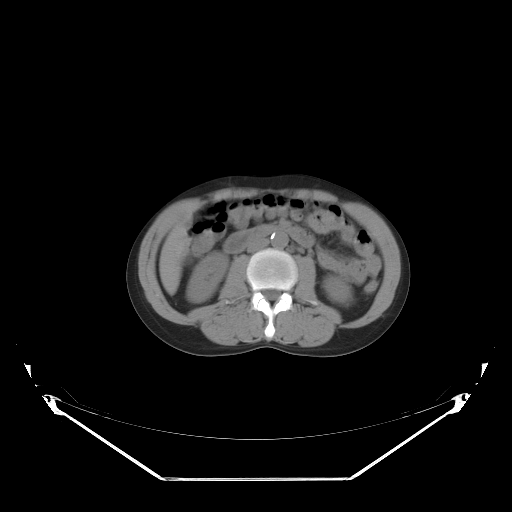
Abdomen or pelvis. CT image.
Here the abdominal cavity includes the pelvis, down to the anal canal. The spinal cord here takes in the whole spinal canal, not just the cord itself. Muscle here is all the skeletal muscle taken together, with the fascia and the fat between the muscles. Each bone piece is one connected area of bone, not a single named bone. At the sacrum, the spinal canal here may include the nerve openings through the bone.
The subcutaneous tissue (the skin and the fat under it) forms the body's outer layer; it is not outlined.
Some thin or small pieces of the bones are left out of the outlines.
The abdominal cavity is outlined by 263 193; 337 204; 369 233; 383 258; 383 273; 373 300; 362 315; 344 321; 337 309; 318 298; 316 265; 310 255; 293 257; 270 246; 233 258; 215 302; 185 313; 169 303; 156 275; 156 256; 170 228; 186 211; 211 200. The bones are outlined by 269 247; 283 250; 290 254; 297 267; 297 280; 288 291; 292 296; 292 306; 288 310; 278 312; 273 317; 275 331; 272 338; 269 340; 264 333; 268 322; 267 317; 263 312; 251 309; 252 288; 246 276; 246 268; 250 256; 259 250, around a hole outlined by 266 289; 275 289; 276 290; 279 290; 280 291; 281 291; 281 292; 280 293; 280 294; 279 295; 278 298; 276 300; 275 300; 274 301; 269 301; 266 299; 265 296; 263 294; 263 293; 262 292; 262 291; 263 290; 265 290. The spinal cord is outlined by 266 289; 275 289; 276 290; 279 290; 280 291; 281 291; 281 292; 280 293; 280 294; 279 295; 278 298; 276 300; 275 300; 274 301; 269 301; 266 299; 265 296; 263 294; 263 293; 262 292; 262 291; 263 290; 265 290. The muscle is outlined by 227 187; 251 187; 260 189; 321 189; 353 201; 361 202; 370 207; 387 224; 396 240; 400 251; 400 278; 390 305; 381 316; 372 322; 357 328; 338 329; 329 341; 324 344; 312 347; 289 346; 287 344; 278 343; 272 340; 261 340; 254 343; 243 345; 222 345; 209 340; 197 328; 172 322; 159 315; 147 301; 138 277; 138 254; 143 237; 157 216; 174 202; 191 195; 202 194; 212 190 with holes at 263 193; 337 204; 369 233; 383 273; 362 315; 344 321; 318 298; 310 255; 293 257; 292 306; 273 317; 269 340; 267 317; 251 309; 247 254; 233 258; 215 302; 185 313; 169 303; 156 275; 156 256; 170 228; 186 211; 211 200 and at 240 295; 242 295; 243 296; 243 297; 241 299; 240 299; 237 301; 235 301; 232 303; 226 303; 225 302; 225 301; 226 300; 230 300; 231 299; 232 299; 233 298; 235 298; 236 297; 237 297 and at 306 299; 312 299; 313 300; 314 300; 315 301; 316 301; 317 302; 317 304; 316 305; 315 305; 314 304; 313 304; 312 303; 311 303; 310 302; 306 302; 305 301; 305 300. The torso is outlined by 233 172; 302 172; 316 175; 361 194; 391 220; 405 243; 411 275; 405 303; 383 335; 362 349; 333 357; 293 355; 269 347; 235 355; 198 356; 171 347; 144 325; 132 306; 125 279; 128 254; 138 232; 151 214; 180 190; 210 177.